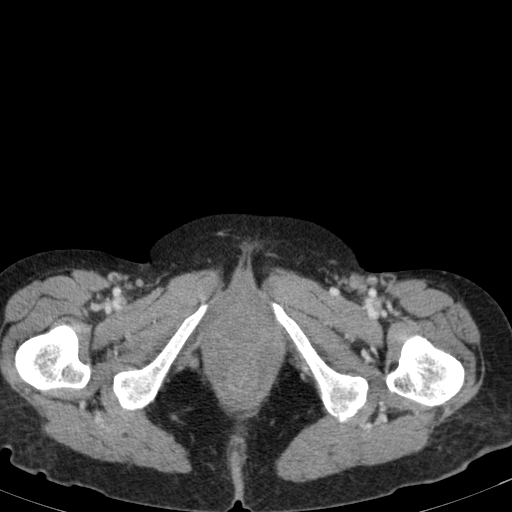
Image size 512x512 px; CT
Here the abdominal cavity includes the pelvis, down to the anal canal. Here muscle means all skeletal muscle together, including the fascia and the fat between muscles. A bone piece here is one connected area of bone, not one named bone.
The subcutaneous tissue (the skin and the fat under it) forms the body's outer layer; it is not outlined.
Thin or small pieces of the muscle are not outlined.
The torso is outlined by (236, 211) (323, 225) (370, 271) (443, 269) (485, 289) (511, 325) (511, 445) (439, 481) (303, 511) (250, 511) (239, 500) (228, 511) (147, 506) (64, 486) (14, 466) (10, 450) (0, 450) (0, 272) (25, 256) (62, 248) (100, 250) (142, 262) (151, 245) (178, 225). The muscle is outlined by (214, 266) (227, 281) (244, 270) (258, 282) (279, 266) (361, 301) (396, 280) (438, 283) (479, 329) (483, 383) (415, 453) (285, 480) (274, 461) (289, 442) (323, 406) (340, 423) (354, 416) (369, 382) (329, 365) (272, 300) (318, 395) (285, 360) (236, 438) (197, 371) (159, 391) (209, 308) (202, 302) (149, 362) (111, 384) (123, 409) (150, 404) (148, 418) (189, 451) (193, 471) (75, 451) (41, 432) (0, 373) (10, 296) (65, 267) (138, 293) with holes at (236, 309) (246, 310) (263, 318) (273, 326) (281, 340) (281, 353) (277, 369) (260, 394) (255, 406) (247, 411) (235, 410) (228, 405) (228, 402) (222, 395) (222, 392) (208, 361) (205, 344) (206, 334) (216, 322) (216, 320) (227, 314) (228, 312) and at (414, 334) (418, 334) (426, 338) (435, 347) (454, 356) (461, 362) (464, 368) (465, 374) (462, 386) (453, 396) (440, 405) (434, 406) (424, 405) (394, 392) (391, 392) (386, 385) (385, 377) (388, 372) (393, 370) (397, 366) (400, 355) (400, 350) (404, 341) (409, 336) and at (64, 323) (71, 326) (77, 335) (78, 339) (78, 357) (82, 362) (88, 364) (90, 367) (91, 371) (89, 380) (86, 385) (80, 389) (76, 389) (71, 387) (61, 387) (41, 391) (30, 385) (21, 378) (14, 364) (15, 352) (18, 346) (28, 338) (43, 333) (54, 326). The abdominal cavity is outlined by (236, 309) (246, 310) (263, 318) (273, 326) (281, 340) (281, 353) (277, 369) (260, 394) (255, 406) (247, 411) (235, 410) (228, 405) (228, 402) (222, 395) (222, 392) (208, 361) (205, 344) (206, 334) (216, 322) (216, 320) (227, 314) (228, 312). The bones appear in 4 outlined pieces: piece 1: (414, 334) (418, 334) (426, 338) (435, 347) (454, 356) (461, 362) (464, 368) (465, 374) (462, 386) (453, 396) (440, 405) (434, 406) (424, 405) (394, 392) (391, 392) (386, 385) (385, 377) (388, 372) (393, 370) (397, 366) (400, 355) (400, 350) (404, 341) (409, 336); piece 2: (64, 323) (71, 326) (77, 335) (78, 339) (78, 357) (82, 362) (88, 364) (90, 367) (91, 371) (89, 380) (86, 385) (80, 389) (76, 389) (71, 387) (61, 387) (41, 391) (30, 385) (21, 378) (14, 364) (15, 352) (18, 346) (28, 338) (43, 333) (54, 326); piece 3: (272, 301) (282, 306) (284, 311) (298, 324) (317, 353) (329, 366) (340, 373) (349, 374) (353, 376) (359, 375) (367, 380) (368, 390) (364, 404) (354, 415) (345, 421) (340, 422) (324, 407) (319, 395) (316, 382) (305, 360) (285, 328) (275, 318) (270, 305) (270, 302); piece 4: (202, 303) (207, 303) (208, 304) (208, 308) (198, 324) (187, 338) (172, 362) (153, 401) (143, 408) (139, 409) (130, 410) (123, 408) (120, 405) (118, 399) (112, 388) (113, 376) (119, 371) (128, 370) (130, 368) (141, 368) (149, 363) (161, 351) (184, 319) (192, 314).